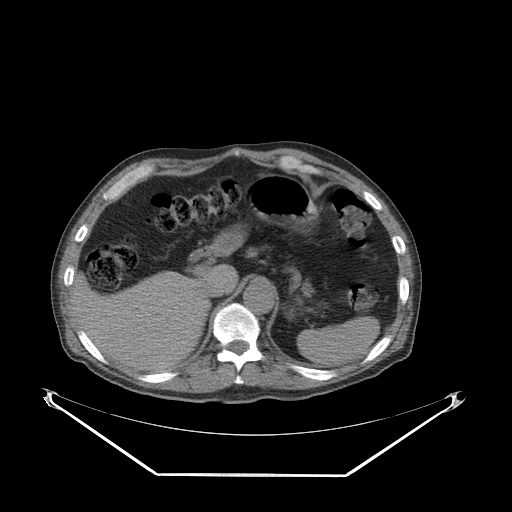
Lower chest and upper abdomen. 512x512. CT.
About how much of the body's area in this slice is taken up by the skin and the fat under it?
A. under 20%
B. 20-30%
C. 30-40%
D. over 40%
Answer: A. under 20%
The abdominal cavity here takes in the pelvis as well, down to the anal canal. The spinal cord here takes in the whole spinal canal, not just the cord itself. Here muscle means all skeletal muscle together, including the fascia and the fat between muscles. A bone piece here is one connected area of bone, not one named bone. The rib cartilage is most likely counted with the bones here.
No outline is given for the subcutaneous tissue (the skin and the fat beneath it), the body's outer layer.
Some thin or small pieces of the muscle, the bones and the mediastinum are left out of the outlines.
Outlined structures:
abdominal cavity: (227, 158) (296, 171) (315, 191) (347, 186) (375, 210) (396, 253) (399, 300) (385, 335) (364, 357) (321, 369) (272, 347) (262, 333) (278, 296) (262, 275) (242, 280) (215, 312) (203, 351) (172, 370) (124, 369) (80, 329) (72, 284) (104, 209) (139, 180) (191, 176)
torso: (278, 140) (313, 143) (346, 158) (390, 197) (404, 217) (414, 236) (422, 270) (419, 316) (409, 356) (377, 376) (339, 390) (300, 400) (266, 398) (251, 403) (196, 403) (140, 394) (70, 359) (61, 347) (51, 309) (50, 269) (65, 225) (94, 185) (118, 162) (145, 149)
spinal cord: (236, 340) (241, 340) (242, 341) (244, 341) (245, 342) (246, 342) (248, 344) (248, 348) (246, 350) (245, 350) (242, 353) (241, 353) (240, 354) (237, 354) (235, 352) (230, 350) (228, 348) (228, 345) (229, 344) (229, 343) (230, 343) (233, 341) (235, 341)
muscle: (233, 148) (294, 148) (307, 152) (362, 180) (385, 202) (408, 238) (413, 260) (413, 314) (399, 350) (353, 376) (316, 387) (272, 389) (243, 384) (239, 373) (243, 365) (265, 359) (258, 345) (260, 334) (280, 354) (303, 364) (290, 362) (290, 369) (318, 381) (336, 377) (336, 368) (360, 360) (362, 364) (371, 361) (390, 344) (392, 336) (386, 334) (399, 301) (404, 305) (410, 292) (408, 279) (399, 276) (397, 257) (406, 252) (406, 244) (400, 235) (391, 236) (382, 223) (376, 213) (383, 208) (380, 201) (367, 190) (361, 192) (362, 196) (323, 176) (321, 168) (291, 154) (278, 158) (279, 167) (245, 157) (227, 157) (191, 175) (151, 175) (156, 169) (154, 163) (130, 169) (102, 193) (105, 201) (115, 200) (97, 218) (75, 271) (68, 264) (63, 272) (63, 284) (71, 286) (71, 307) (79, 326) (77, 337) (100, 362) (135, 372) (143, 382) (165, 382) (178, 374) (173, 370) (204, 351) (212, 328) (221, 347) (216, 359) (235, 366) (233, 382) (240, 385) (202, 393) (148, 388) (105, 371) (69, 348) (59, 307) (57, 275) (68, 236) (99, 189) (128, 165) (146, 158) (200, 159); inner edge: (85, 223) (87, 225) (87, 226) (88, 227) (88, 231) (87, 232) (86, 235) (84, 237) (84, 238) (81, 241) (78, 242) (77, 241) (76, 241) (74, 239) (74, 237) (75, 236) (75, 234) (76, 233) (76, 232) (78, 230) (78, 229) (83, 224) (84, 224)
bones 1: (232, 302) (237, 302) (243, 305) (257, 318) (260, 326) (257, 345) (264, 355) (264, 359) (247, 361) (242, 365) (238, 373) (243, 380) (242, 384) (234, 382) (238, 373) (236, 366) (231, 361) (219, 361) (217, 359) (216, 355) (222, 347) (212, 331) (213, 319) (216, 312), around a hole outlined by (236, 340) (241, 340) (242, 341) (244, 341) (245, 342) (246, 342) (248, 344) (248, 348) (246, 350) (245, 350) (242, 353) (241, 353) (240, 354) (237, 354) (235, 352) (230, 350) (228, 348) (228, 345) (229, 344) (229, 343) (230, 343) (233, 341) (235, 341)
bones 2: (142, 164) (154, 164) (155, 166) (155, 169) (149, 176) (139, 179) (134, 184) (128, 187) (127, 189) (126, 189) (121, 194) (121, 195) (120, 195) (116, 199) (108, 199) (107, 200) (105, 200) (102, 197) (103, 193) (122, 176) (123, 176) (130, 170)
bones 3: (283, 155) (291, 155) (299, 159) (303, 163) (306, 163) (307, 164) (310, 164) (313, 166) (315, 166) (321, 169) (322, 171) (322, 174) (321, 175) (316, 175) (315, 174) (312, 174) (311, 173) (302, 172) (296, 169) (284, 169) (280, 167) (280, 165) (279, 164) (279, 158)
bones 4: (290, 363) (296, 364) (297, 365) (305, 366) (309, 368) (320, 369) (321, 370) (334, 370) (336, 372) (337, 375) (329, 379) (324, 379) (323, 380) (318, 380) (317, 379) (314, 379) (313, 378) (306, 377) (294, 371) (291, 368) (290, 368) (289, 367) (289, 364)
bones 5: (78, 330) (82, 330) (85, 333) (85, 334) (89, 338) (89, 339) (93, 343) (93, 344) (97, 348) (97, 349) (108, 361) (108, 364) (106, 364) (97, 359) (94, 356) (93, 356) (85, 348) (85, 347) (82, 344) (81, 341) (78, 337) (78, 335) (77, 334) (77, 331)
bones 6: (164, 371) (172, 371) (173, 372) (176, 372) (177, 373) (177, 374) (174, 377) (173, 377) (171, 379) (169, 379) (165, 381) (162, 381) (161, 382) (148, 382) (147, 381) (143, 381) (142, 380) (140, 380) (137, 378) (137, 376) (140, 374) (154, 374) (155, 373) (160, 373)
bones 7: (386, 335) (390, 335) (391, 336) (391, 340) (389, 344) (384, 349) (384, 350) (382, 351) (377, 356) (376, 356) (371, 360) (367, 362) (362, 363) (361, 362) (362, 360) (367, 355) (367, 354) (374, 346) (374, 345) (379, 340) (380, 340) (384, 336)
bones 8: (401, 276) (404, 276) (407, 279) (407, 280) (408, 281) (408, 284) (409, 285) (409, 292) (408, 293) (408, 296) (407, 297) (406, 302) (404, 304) (402, 304) (401, 303) (401, 301) (399, 299) (399, 291) (398, 290) (398, 281) (399, 280) (399, 277) (400, 277)
bones 9: (363, 191) (367, 191) (368, 192) (369, 192) (371, 194) (372, 194) (379, 201) (379, 202) (381, 204) (381, 205) (382, 206) (382, 208) (380, 210) (377, 210) (376, 209) (374, 209) (364, 199) (364, 198) (363, 197) (363, 195) (362, 194) (362, 192)
bones 10: (393, 235) (398, 235) (399, 236) (400, 236) (401, 237) (401, 238) (403, 240) (403, 241) (405, 244) (405, 252) (403, 254) (398, 254) (396, 252) (396, 251) (395, 250) (395, 249) (393, 246) (393, 244) (392, 243) (392, 241) (391, 240) (391, 237)
bones 11: (68, 265) (72, 265) (73, 266) (73, 267) (74, 268) (74, 273) (73, 274) (73, 280) (72, 281) (72, 283) (71, 284) (71, 285) (69, 285) (68, 286) (66, 286) (64, 284) (64, 280) (63, 279) (63, 277) (64, 276) (64, 272) (65, 271) (65, 270)
bones 12: (85, 223) (87, 225) (87, 226) (88, 227) (88, 231) (87, 232) (86, 235) (84, 237) (84, 238) (81, 241) (78, 242) (77, 241) (76, 241) (74, 239) (74, 237) (75, 236) (75, 234) (76, 233) (76, 232) (78, 230) (78, 229) (83, 224) (84, 224)
mediastinum 1: (249, 276) (262, 276) (265, 278) (269, 282) (274, 285) (275, 292) (277, 296) (276, 305) (275, 306) (275, 311) (270, 321) (270, 323) (265, 330) (261, 333) (261, 326) (258, 318) (246, 306) (237, 301) (232, 301) (222, 306) (235, 295) (237, 291) (240, 288) (243, 280)
mediastinum 2: (299, 172) (301, 172) (302, 173) (306, 173) (307, 174) (311, 174) (312, 175) (315, 175) (316, 176) (322, 176) (323, 177) (328, 178) (330, 180) (332, 180) (333, 181) (327, 183) (322, 188) (318, 190) (315, 190) (309, 180) (304, 175)